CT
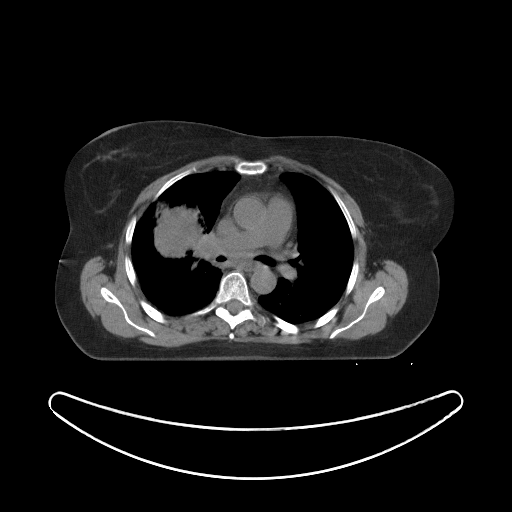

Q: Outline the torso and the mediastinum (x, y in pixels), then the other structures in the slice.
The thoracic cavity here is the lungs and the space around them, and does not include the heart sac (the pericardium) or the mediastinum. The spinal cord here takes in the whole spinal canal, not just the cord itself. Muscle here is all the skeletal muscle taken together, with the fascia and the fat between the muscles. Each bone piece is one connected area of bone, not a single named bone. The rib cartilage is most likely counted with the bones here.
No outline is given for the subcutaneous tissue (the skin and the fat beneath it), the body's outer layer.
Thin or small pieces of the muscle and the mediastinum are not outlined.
A: torso: 154,119 203,122 260,136 367,138 409,149 437,165 453,186 455,212 448,232 434,250 439,297 426,329 402,353 388,359 105,361 82,352 63,327 54,303 56,269 69,232 63,192 65,169 76,151 103,131
mediastinum: 274,168 289,170 279,179 293,197 296,210 297,233 294,203 289,196 280,191 244,193 213,228 224,250 243,257 265,255 286,260 296,237 296,247 275,288 256,299 240,271 222,275 214,263 212,228 223,199 240,174 259,175
spinal cord: 232,299 235,299 236,300 237,300 238,301 239,301 243,305 243,308 242,309 241,309 238,312 237,312 236,313 235,313 234,314 233,314 232,313 231,313 226,308 226,303 227,302 228,302 230,300 231,300
thoracic cavity 1: 216,169 235,171 239,174 239,179 222,199 217,216 211,228 211,235 213,240 213,263 221,273 217,291 208,304 191,313 182,315 165,314 148,301 138,281 131,259 131,244 137,221 150,204 177,181 194,173
thoracic cavity 2: 288,171 312,177 330,193 346,221 353,246 351,269 344,291 335,304 315,320 297,325 263,309 258,305 256,300 260,296 267,296 274,291 278,280 283,275 284,267 298,244 296,203 291,191 280,179 280,175
bones 1: 232,271 238,271 244,276 250,295 265,315 270,317 273,314 296,325 299,328 298,333 284,333 274,325 271,318 262,326 247,319 234,327 234,337 230,339 230,326 213,310 203,315 191,316 213,300 222,276, around a hole outlined by 232,299 235,299 236,300 237,300 238,301 239,301 243,305 243,308 242,309 241,309 238,312 237,312 236,313 235,313 234,314 233,314 232,313 231,313 226,308 226,303 227,302 228,302 230,300 231,300
bones 2: 378,286 382,286 384,288 384,293 379,299 372,302 368,306 364,316 359,321 353,324 349,328 347,328 339,332 333,338 330,339 329,336 335,329 347,325 351,321 354,320 360,315 363,311 364,306 370,294
bones 3: 102,287 107,288 117,297 119,301 124,307 128,317 134,323 141,327 144,327 151,330 155,334 155,336 153,337 149,335 146,332 137,329 129,324 126,321 122,310 115,303 108,302 104,299 100,292 100,289
bones 4: 242,160 247,160 248,161 255,161 256,160 261,160 262,161 263,161 268,166 268,168 264,172 263,172 262,173 260,173 259,174 242,174 241,173 239,173 234,169 234,165 237,162 238,162 239,161 241,161
bones 5: 328,187 331,187 337,193 337,194 343,201 347,209 349,211 351,218 357,229 357,236 355,239 353,239 352,238 351,236 351,233 350,232 350,230 347,223 347,221 339,205 335,200 334,197 328,190
bones 6: 193,166 196,167 197,169 197,172 194,172 193,173 188,174 184,176 182,178 177,180 164,191 163,191 155,200 153,200 153,198 155,194 167,180 168,180 171,177 174,176 176,174 188,168 190,168
bones 7: 141,299 143,300 145,300 156,309 157,309 159,311 163,313 165,315 165,318 167,321 165,323 162,323 161,322 156,321 154,319 150,317 144,311 144,310 142,308 140,304 140,300
bones 8: 335,305 338,305 339,307 339,309 338,311 335,314 333,318 332,318 327,323 321,326 319,326 318,327 313,327 313,325 315,321 319,317 323,315 327,311 328,311
bones 9: 355,259 357,260 358,262 358,265 359,266 359,268 358,269 358,273 357,274 354,285 351,291 348,294 348,295 345,295 344,292 345,291 345,289 347,285 347,282 348,281 348,279 352,269 353,262
bones 10: 126,255 128,255 131,260 131,262 132,263 132,265 133,266 133,268 134,269 134,271 135,272 135,274 137,278 137,281 136,282 135,286 133,286 131,284 127,276 127,274 125,270 125,266 124,265 124,258
bones 11: 134,215 136,216 136,219 137,220 136,221 136,224 135,225 135,227 133,231 133,234 132,235 132,238 131,239 131,243 129,245 128,245 125,241 126,229 127,228 127,225 130,219 132,217 132,216
pericardium: 252,192 256,192 257,193 261,193 262,192 280,192 289,197 292,201 294,207 296,236 293,241 286,259 275,259 265,254 243,256 229,250 224,249 222,247 214,230 214,228 231,209 240,197 246,193 251,193
muscle: 221,154 243,159 237,161 233,169 198,172 193,165 176,173 162,184 141,216 137,219 135,214 132,215 126,225 124,241 130,245 130,257 128,254 124,256 123,265 130,284 135,287 138,282 147,300 139,300 143,311 162,324 168,321 166,315 197,317 213,311 229,326 230,340 235,337 235,327 247,320 262,327 271,319 284,334 296,336 300,324 314,321 312,327 318,328 334,318 340,309 336,303 343,293 349,295 359,273 353,245 358,229 346,204 331,186 327,189 302,172 269,168 260,159 283,155 314,167 342,186 360,208 374,262 377,265 390,259 405,269 409,281 406,300 382,330 359,339 332,339 365,316 369,306 384,295 382,285 369,294 358,316 335,328 329,339 315,339 310,343 212,339 166,347 142,342 137,337 115,335 90,315 81,299 81,270 94,256 100,255 107,262 116,258 121,232 139,193 155,179 189,162; inner edge: 102,287 107,288 117,297 119,301 124,307 128,317 134,323 141,327 144,327 151,330 155,334 155,336 153,337 149,335 146,332 137,329 129,324 126,321 122,310 115,303 108,302 104,299 100,292 100,289